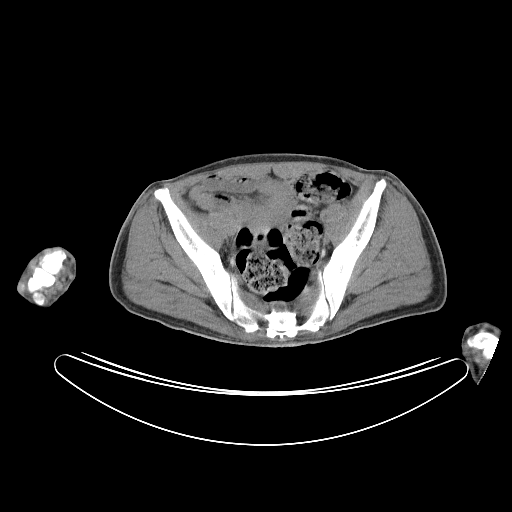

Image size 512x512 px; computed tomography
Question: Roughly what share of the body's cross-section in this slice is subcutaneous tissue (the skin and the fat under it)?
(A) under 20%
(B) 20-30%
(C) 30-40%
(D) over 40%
Answer: (A) under 20%
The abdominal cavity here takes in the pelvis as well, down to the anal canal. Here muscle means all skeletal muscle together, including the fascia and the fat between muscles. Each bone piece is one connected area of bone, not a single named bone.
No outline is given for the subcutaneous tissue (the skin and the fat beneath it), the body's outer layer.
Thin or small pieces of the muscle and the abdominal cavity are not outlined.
The left arm is outlined by 480 321; 488 321; 495 324; 500 328; 501 331; 498 337; 498 341; 495 350; 491 359; 489 360; 489 364; 483 378; 482 377; 479 383; 476 384; 471 377; 467 362; 462 357; 460 342; 462 334; 465 328; 469 325; 477 323. The bones appear in 3 outlined pieces: piece 1: 381 178; 386 186; 373 232; 355 262; 335 315; 317 331; 299 330; 282 340; 268 337; 264 322; 246 332; 224 315; 153 194; 157 188; 168 188; 192 228; 235 276; 247 306; 265 312; 271 307; 295 311; 302 322; 318 295; 318 271; piece 2: 56 248; 65 252; 66 259; 55 276; 56 279; 54 283; 48 287; 43 287; 40 290; 45 299; 44 303; 39 305; 33 300; 32 294; 25 287; 21 289; 20 285; 26 284; 28 278; 33 272; 33 268; 39 261; 39 257; 47 250; piece 3: 481 328; 483 328; 487 331; 492 332; 498 337; 498 341; 497 342; 495 350; 491 359; 489 360; 488 359; 486 359; 483 356; 482 354; 482 350; 481 349; 479 349; 475 347; 470 347; 468 346; 466 343; 466 340; 469 337; 473 336. The muscle appears in 6 outlined pieces: piece 1: 290 161; 318 162; 387 176; 398 184; 417 215; 429 255; 432 289; 424 300; 374 314; 322 337; 276 342; 235 338; 148 309; 127 297; 121 273; 130 226; 144 196; 156 188; 152 194; 161 204; 176 241; 197 268; 216 306; 228 320; 246 333; 259 330; 260 322; 264 323; 265 335; 270 339; 278 337; 280 341; 285 337; 294 338; 303 330; 317 332; 332 320; 345 297; 356 262; 374 232; 387 186; 385 178; 375 181; 349 230; 334 246; 326 232; 327 209; 345 205; 358 186; 332 167; 289 177; 272 172; 236 178; 211 174; 188 188; 183 197; 196 212; 228 214; 229 233; 219 252; 193 228; 169 188; 161 186; 229 165; piece 2: 67 257; 70 262; 70 274; 69 276; 66 278; 65 283; 61 289; 58 290; 57 292; 45 303; 46 298; 41 290; 43 288; 48 288; 52 286; 55 283; 57 279; 57 277; 56 276; 62 269; 64 265; 64 262; 67 259; piece 3: 316 283; 317 284; 317 295; 316 298; 314 302; 311 305; 309 312; 306 313; 305 315; 303 316; 305 317; 304 319; 302 321; 300 321; 298 318; 296 309; 298 306; 300 305; 300 303; 302 302; 302 300; 304 297; 310 292; 312 286; piece 4: 466 344; 466 345; 470 348; 475 348; 476 349; 481 350; 481 354; 482 356; 486 360; 488 360; 489 361; 487 369; 483 376; 483 378; 481 376; 479 372; 479 366; 478 364; 472 359; 472 356; 468 353; 466 349; 466 347; 465 346; piece 5: 240 287; 244 290; 245 290; 247 292; 248 292; 250 294; 251 294; 257 301; 257 303; 258 305; 262 308; 263 308; 264 310; 259 310; 258 309; 255 309; 247 305; 242 299; 240 295; 240 293; 239 292; piece 6: 38 257; 38 261; 37 262; 37 263; 32 268; 32 272; 31 273; 31 274; 27 278; 27 279; 25 282; 25 284; 24 283; 22 283; 22 282; 23 281; 23 279; 24 278; 24 276; 26 274; 28 269; 33 263; 33 262. The right arm is outlined by 55 245; 60 245; 66 248; 74 256; 76 261; 76 274; 75 275; 75 278; 70 284; 68 289; 51 306; 47 308; 38 308; 30 304; 18 293; 16 287; 17 286; 17 282; 22 270; 25 267; 28 261; 38 251; 45 247; 54 246. The torso is outlined by 265 152; 325 155; 365 169; 384 169; 395 174; 421 204; 438 240; 447 275; 447 297; 444 305; 437 311; 399 318; 332 340; 295 347; 225 343; 173 329; 127 311; 111 295; 108 269; 118 231; 140 193; 156 180; 171 178; 215 160. The abdominal cavity is outlined by 326 167; 357 186; 345 204; 326 209; 325 232; 333 246; 330 256; 295 310; 271 306; 265 311; 256 298; 239 285; 236 276; 222 261; 220 250; 231 227; 229 214; 196 211; 184 195; 211 175; 236 179; 272 173; 289 178.